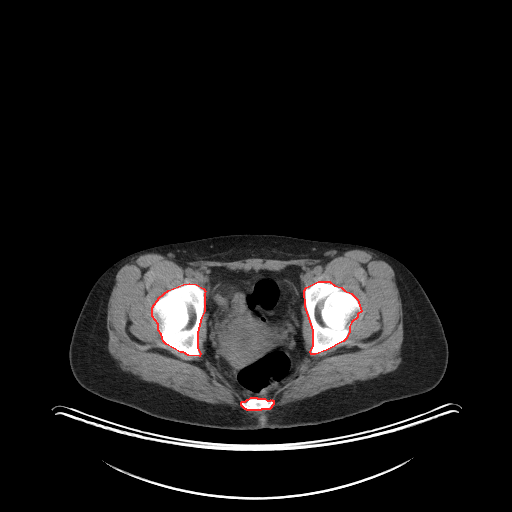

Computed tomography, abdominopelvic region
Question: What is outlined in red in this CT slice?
Answer: red: bones.
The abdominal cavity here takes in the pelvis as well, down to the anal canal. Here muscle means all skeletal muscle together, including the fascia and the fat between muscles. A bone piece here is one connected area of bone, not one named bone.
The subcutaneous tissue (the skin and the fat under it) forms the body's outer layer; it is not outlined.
The bones appear in 3 outlined pieces: piece 1: 318 281; 329 281; 334 285; 341 287; 344 290; 351 293; 357 299; 361 311; 357 314; 357 317; 351 322; 349 326; 349 331; 346 338; 343 341; 326 350; 315 354; 311 354; 310 352; 313 345; 313 330; 305 306; 304 290; 306 287; piece 2: 189 283; 196 284; 203 288; 205 291; 204 293; 204 311; 201 317; 197 332; 197 347; 200 354; 199 356; 188 355; 183 352; 180 352; 166 344; 163 341; 161 334; 158 330; 158 324; 152 316; 152 307; 159 297; 168 290; 183 284; piece 3: 251 397; 256 397; 257 398; 264 398; 267 400; 270 400; 271 399; 272 400; 273 400; 273 404; 271 406; 271 407; 269 409; 261 409; 260 410; 247 410; 246 409; 245 409; 241 405; 241 402; 242 401; 245 401; 247 399; 248 399. The muscle is outlined by 353 249; 381 256; 395 274; 402 304; 403 341; 401 362; 391 372; 331 388; 274 407; 265 413; 255 414; 229 404; 196 400; 144 381; 123 371; 108 351; 107 304; 115 276; 128 260; 137 255; 157 253; 181 260; 289 260; 323 259 with a hole at 290 265; 301 267; 303 290; 329 281; 361 311; 343 341; 311 354; 304 305; 303 355; 263 396; 273 400; 269 409; 247 410; 241 402; 250 396; 206 353; 207 313; 200 355; 192 356; 163 341; 152 307; 183 284; 205 289; 213 267. The torso is outlined by 229 234; 276 234; 358 244; 380 250; 397 259; 421 284; 441 321; 449 355; 440 382; 425 393; 388 401; 367 411; 325 423; 245 430; 204 427; 161 419; 104 399; 82 387; 70 368; 69 345; 83 303; 99 276; 118 260; 142 249. The abdominal cavity is outlined by 290 265; 301 267; 300 286; 303 290; 304 299; 301 333; 304 353; 297 362; 291 375; 274 391; 263 397; 250 397; 236 389; 206 353; 207 313; 205 311; 205 289; 207 287; 208 271; 213 267; 245 271; 251 269; 278 271.